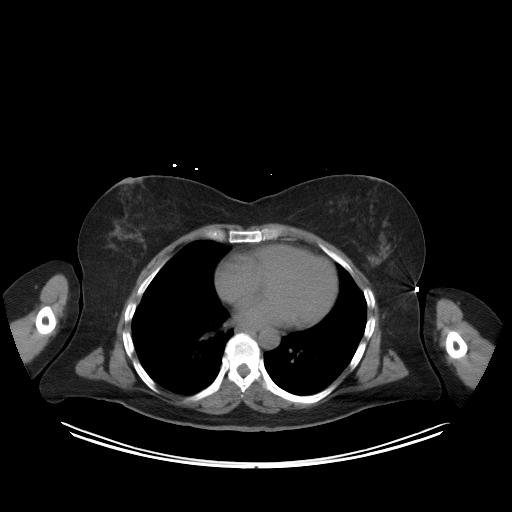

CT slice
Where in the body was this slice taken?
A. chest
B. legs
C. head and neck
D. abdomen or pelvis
Answer: A. chest
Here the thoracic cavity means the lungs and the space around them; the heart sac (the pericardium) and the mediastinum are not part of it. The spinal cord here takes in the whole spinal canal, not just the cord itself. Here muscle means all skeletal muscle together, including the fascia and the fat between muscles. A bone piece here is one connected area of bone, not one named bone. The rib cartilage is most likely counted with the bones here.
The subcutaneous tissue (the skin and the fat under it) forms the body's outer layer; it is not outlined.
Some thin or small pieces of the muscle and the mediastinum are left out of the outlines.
right arm: 55,258 63,259 70,262 74,268 78,279 81,281 80,297 78,301 79,311 72,334 69,339 44,367 42,371 34,378 32,378 26,369 21,359 20,352 12,339 3,293 5,289 19,276 35,266 45,261
spinal cord: 242,364 245,364 247,366 247,367 249,369 249,372 246,375 245,375 244,376 242,376 238,372 238,371 237,370 237,369 238,368 238,367 240,365 241,365
thoracic cavity 1: 200,239 213,240 229,248 215,267 213,285 221,304 229,314 229,322 233,329 233,334 225,343 219,370 214,379 199,391 184,395 166,389 156,383 143,367 135,351 131,334 131,321 144,292 166,262 182,247
thoracic cavity 2: 334,261 349,273 363,294 367,308 367,318 363,335 348,364 329,385 315,393 303,395 295,394 282,388 272,379 265,367 263,354 277,348 284,336 289,335 292,332 311,328 319,323 330,312 339,293 339,278
mediastinum: 230,315 230,317 234,321 245,326 252,328 271,329 279,332 282,332 286,334 286,335 284,335 281,338 280,343 277,347 265,351 262,355 260,347 257,341 248,333 243,331 234,333 234,329 230,322
pericardium: 277,240 296,240 317,249 333,260 338,278 337,297 329,312 319,322 311,327 301,330 294,330 289,334 266,327 248,326 234,320 222,304 214,285 214,273 216,267 220,260 232,249 233,246 256,242 267,243
bones 1: 240,332 256,341 266,371 282,389 303,396 315,394 334,382 337,383 336,387 314,403 299,403 267,390 259,380 253,381 242,397 240,388 225,378 212,394 196,401 186,401 186,397 204,389 215,379 227,341 with a hole at 242,364 245,364 247,366 247,367 249,369 249,372 246,375 245,375 244,376 242,376 238,372 238,371 237,370 237,369 238,368 238,367 240,365 241,365
bones 2: 265,227 279,228 282,231 279,237 275,239 268,239 263,241 231,243 225,240 217,241 213,239 205,238 203,236 203,233 207,230 214,229 221,229 225,231 228,231 231,229 235,230 255,230 258,229 259,230
bones 3: 124,330 129,331 131,335 131,338 134,347 134,352 132,355 132,358 133,359 137,359 139,361 140,364 148,375 155,382 156,387 159,392 155,392 148,387 136,372 132,363 132,359 127,355 123,344 122,333
bones 4: 449,330 455,330 456,331 457,331 459,333 459,334 461,336 461,337 465,341 465,342 467,345 467,351 466,352 465,355 460,358 452,358 447,353 447,352 445,349 445,339 446,338 446,336 447,335 447,333
bones 5: 46,305 48,305 51,307 51,309 56,318 56,324 55,325 54,328 50,333 49,333 48,334 41,334 38,332 38,331 36,328 36,326 35,325 35,319 36,318 36,315 37,314 38,311 43,306 45,306
bones 6: 318,243 321,243 323,244 327,248 328,248 330,250 333,251 335,253 339,255 350,266 350,267 353,271 353,276 352,276 345,268 344,268 340,264 339,264 333,259 332,259 321,249 320,249 318,246
bones 7: 361,340 364,340 366,342 366,346 365,347 364,352 363,353 359,362 354,368 354,369 351,370 349,368 348,365 349,364 349,363 350,362 350,361 351,360 351,359 352,358 352,357 353,356 359,343 361,341
bones 8: 165,260 166,260 165,263 160,268 160,269 157,272 157,273 153,277 151,281 148,284 145,290 143,292 141,297 138,296 137,295 137,290 139,286 141,284 141,283 148,275 149,275 163,261
bones 9: 370,316 373,316 375,318 375,325 374,326 374,329 373,330 373,332 372,333 372,334 371,335 371,336 368,339 366,339 363,336 364,335 364,331 365,330 365,326 366,325 366,322 367,321 367,319
bones 10: 365,287 368,287 372,291 372,292 373,293 373,295 374,296 374,298 375,299 375,305 373,308 369,308 368,307 367,307 367,304 366,303 366,300 365,299 365,297 364,296 364,294 362,291 362,289
bones 11: 132,301 135,302 137,304 137,305 135,308 135,310 134,311 134,313 132,316 132,318 131,319 131,320 130,321 128,321 127,322 126,322 124,320 124,314 125,313 125,309 126,308 128,303 129,303
torso: 343,173 389,181 419,218 425,262 413,289 424,352 442,382 439,398 379,405 315,426 248,432 174,424 105,400 68,397 50,403 43,397 40,374 67,345 83,306 79,230 113,184 130,176 173,175 249,202
left arm: 439,285 459,288 475,295 485,302 501,320 495,349 487,368 477,388 471,392 460,407 455,405 443,390 442,378 436,367 429,360 420,334 420,328 420,332 422,332 421,319 425,307 426,294 429,289
muscle 1: 212,223 233,223 234,224 238,224 242,226 245,229 252,225 260,225 264,223 282,223 283,224 287,224 310,231 340,249 346,254 353,263 366,276 369,280 375,293 376,300 379,308 379,313 381,317 380,320 381,348 383,350 386,350 390,348 395,351 408,369 409,371 408,375 395,381 381,384 361,391 347,392 346,393 339,394 332,397 327,401 315,406 309,408 294,409 292,411 286,412 282,414 274,414 273,413 260,412 252,409 242,402 227,413 224,413 223,414 210,414 209,413 205,413 198,411 193,408 188,408 187,407 182,407 177,405 173,405 164,402 149,394 144,393 141,391 123,389 104,380 89,379 85,377 77,376 74,373 74,366 75,364 80,359 92,351 98,345 102,344 103,345 103,349 105,352 108,352 112,349 116,338 116,329 117,328 117,324 121,310 125,301 130,294 142,269 157,253 180,236 198,227 with a hole at 265,227 281,229 281,238 316,248 323,244 350,266 361,290 372,291 375,305 366,316 373,316 375,325 368,339 361,338 366,346 357,365 352,370 347,365 333,381 336,387 314,403 287,400 259,380 242,397 226,378 218,390 196,401 157,383 159,392 152,390 136,372 122,338 124,330 131,331 125,309 140,302 141,283 182,247 204,239 207,230
muscle 2: 442,297 449,299 456,299 461,303 467,315 483,337 495,345 495,349 490,358 487,368 480,379 477,388 475,390 471,390 450,369 447,369 443,365 437,355 433,343 432,327 436,312 435,308 436,302 438,299, around a hole outlined by 449,330 455,330 456,331 457,331 459,333 459,334 461,336 461,337 465,341 465,342 467,345 467,351 466,352 465,355 460,358 452,358 447,353 447,352 445,349 445,339 446,338 446,336 447,335 447,333
muscle 3: 57,273 63,274 68,281 69,296 65,320 59,334 54,341 46,346 31,361 24,363 21,359 20,352 12,339 9,328 9,323 20,317 22,317 34,307 34,305 38,301 39,293 44,284 49,278, around a hole outlined by 46,305 48,305 51,307 51,309 56,318 56,324 55,325 54,328 50,333 49,333 48,334 41,334 38,332 38,331 36,328 36,326 35,325 35,319 36,318 36,315 37,314 38,311 43,306 45,306